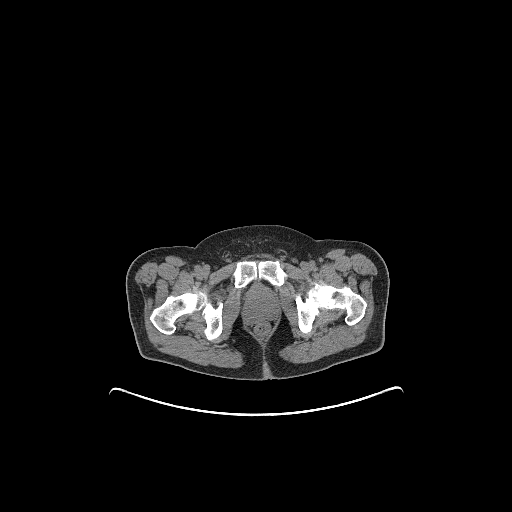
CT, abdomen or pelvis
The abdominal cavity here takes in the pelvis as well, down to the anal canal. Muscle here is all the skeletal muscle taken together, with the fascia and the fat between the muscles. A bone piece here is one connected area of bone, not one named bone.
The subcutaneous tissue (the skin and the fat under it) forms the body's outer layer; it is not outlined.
The muscle is outlined by (331, 248) (361, 251) (377, 268) (372, 285) (374, 312) (360, 344) (315, 361) (290, 362) (278, 354) (293, 340) (284, 315) (263, 357) (261, 345) (244, 330) (239, 314) (228, 342) (244, 355) (240, 367) (201, 365) (163, 353) (149, 341) (143, 298) (134, 278) (151, 259) (179, 254) (219, 267) (236, 261) (231, 274) (233, 286) (242, 289) (240, 307) (245, 325) (264, 340) (280, 314) (275, 288) (289, 275) (278, 259) (238, 260) (266, 253) (294, 264); inner edges: (314, 281) (322, 281) (335, 287) (348, 286) (354, 292) (358, 293) (367, 303) (363, 317) (353, 325) (348, 325) (345, 322) (347, 313) (345, 309) (322, 308) (314, 318) (311, 324) (311, 330) (308, 333) (302, 332) (298, 326) (295, 295) (299, 293) (304, 299) (306, 292), then (199, 289) (206, 292) (208, 299) (215, 307) (219, 300) (223, 304) (222, 331) (218, 337) (212, 341) (206, 338) (204, 333) (206, 323) (199, 310) (179, 316) (175, 322) (176, 329) (171, 334) (160, 332) (152, 324) (149, 318) (152, 310) (159, 306) (169, 295) (176, 296). The abdominal cavity is outlined by (254, 280) (264, 280) (268, 282) (272, 286) (275, 287) (274, 290) (278, 295) (279, 298) (279, 314) (278, 317) (269, 333) (264, 339) (260, 338) (257, 335) (253, 333) (246, 325) (245, 322) (245, 314) (241, 307) (241, 301) (242, 300) (243, 289). The torso is outlined by (255, 224) (283, 225) (315, 239) (357, 240) (377, 250) (384, 259) (389, 274) (385, 339) (382, 348) (372, 354) (311, 374) (267, 380) (237, 380) (216, 377) (144, 358) (136, 345) (128, 315) (126, 297) (126, 272) (134, 258) (151, 248) (176, 245) (194, 246) (218, 231). The bones appear in 3 outlined pieces: piece 1: (314, 281) (322, 281) (335, 287) (348, 286) (354, 292) (358, 293) (367, 303) (363, 317) (353, 325) (348, 325) (345, 322) (347, 313) (345, 309) (322, 308) (314, 318) (311, 324) (311, 330) (308, 333) (302, 332) (298, 326) (295, 295) (299, 293) (304, 299) (306, 292); piece 2: (199, 289) (206, 292) (208, 299) (215, 307) (219, 300) (223, 304) (222, 331) (218, 337) (212, 341) (206, 338) (204, 333) (206, 323) (199, 310) (179, 316) (175, 322) (176, 329) (171, 334) (160, 332) (152, 324) (149, 318) (152, 310) (159, 306) (169, 295) (176, 296); piece 3: (246, 260) (253, 260) (254, 261) (259, 261) (260, 260) (274, 261) (278, 260) (280, 266) (287, 273) (288, 276) (285, 279) (284, 283) (280, 286) (274, 286) (264, 279) (254, 279) (245, 287) (236, 288) (234, 286) (234, 278) (232, 274) (236, 267) (236, 262).